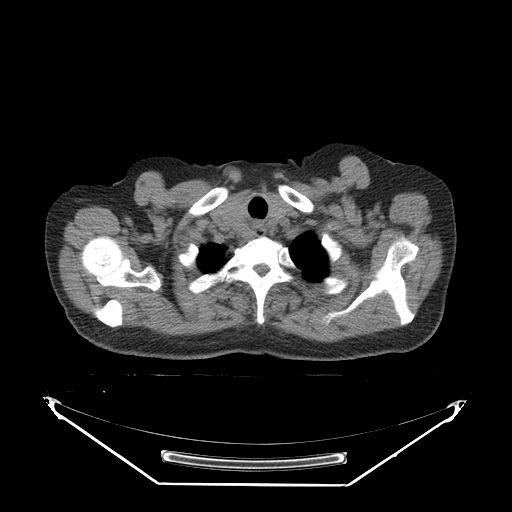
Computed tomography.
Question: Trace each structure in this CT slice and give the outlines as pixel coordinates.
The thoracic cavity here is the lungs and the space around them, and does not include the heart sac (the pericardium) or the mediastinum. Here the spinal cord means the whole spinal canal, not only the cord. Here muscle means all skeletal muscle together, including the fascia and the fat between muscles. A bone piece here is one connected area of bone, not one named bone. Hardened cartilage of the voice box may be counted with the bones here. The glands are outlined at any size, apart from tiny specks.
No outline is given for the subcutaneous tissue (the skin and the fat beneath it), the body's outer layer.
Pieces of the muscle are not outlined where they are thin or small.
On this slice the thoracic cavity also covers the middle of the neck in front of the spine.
Answer: {"muscle":[{"outer":[[350,154],[369,171],[360,197],[366,206],[380,211],[403,191],[426,196],[445,260],[415,317],[401,269],[419,247],[398,237],[367,287],[345,308],[326,313],[324,323],[385,292],[402,328],[330,343],[260,326],[166,336],[117,327],[123,307],[115,298],[90,309],[102,324],[74,306],[62,287],[62,224],[90,204],[140,222],[133,192],[144,171],[171,183],[215,180],[231,167],[257,178],[280,170],[290,178],[326,178]],"holes":[[[252,192],[277,200],[302,231],[318,239],[325,232],[341,245],[327,275],[345,279],[345,288],[327,294],[321,280],[294,270],[295,284],[269,288],[261,324],[246,282],[188,289],[203,272],[178,255],[189,243],[199,248],[212,241],[218,214]],[[98,235],[107,235],[114,238],[123,253],[128,258],[130,267],[133,270],[139,272],[149,264],[153,266],[158,273],[161,282],[160,287],[157,290],[152,290],[145,286],[104,286],[97,281],[96,278],[89,274],[83,267],[80,252],[84,245],[91,238]],[[218,186],[224,186],[227,188],[228,190],[228,195],[225,200],[224,200],[221,203],[220,203],[214,208],[200,215],[192,215],[188,212],[188,210],[190,208],[190,207],[197,200],[198,200],[202,196],[203,196],[211,189],[215,187],[217,187]],[[280,184],[285,184],[286,185],[288,185],[306,196],[312,202],[313,204],[313,209],[312,211],[311,212],[304,212],[303,211],[301,211],[297,208],[294,207],[292,205],[289,204],[286,201],[285,201],[281,197],[277,189],[278,185]]]}],"bones":[{"outer":[[260,235],[286,246],[291,259],[299,269],[292,272],[295,276],[295,284],[277,282],[269,288],[263,304],[264,321],[261,324],[256,322],[257,304],[254,291],[246,282],[219,281],[198,293],[188,289],[189,283],[197,277],[218,270],[233,254],[236,247]],"hole":[[258,264],[265,264],[268,267],[268,268],[269,269],[268,270],[268,271],[264,275],[263,275],[262,276],[261,276],[260,275],[259,275],[257,273],[257,272],[254,269],[254,266],[255,266],[256,265],[257,265]]},[[98,235],[107,235],[114,238],[123,253],[128,258],[130,267],[133,270],[139,272],[149,264],[153,266],[158,273],[161,282],[160,287],[157,290],[152,290],[145,286],[104,286],[97,281],[96,278],[89,274],[83,267],[80,252],[84,245],[91,238]],[[400,237],[406,238],[418,247],[415,258],[405,263],[400,269],[405,283],[406,301],[415,314],[411,322],[403,326],[400,325],[391,297],[382,291],[363,300],[346,314],[325,323],[326,314],[345,309],[368,287],[377,270],[383,265],[389,246]],[[218,186],[224,186],[227,188],[228,190],[228,195],[225,200],[224,200],[221,203],[220,203],[214,208],[200,215],[192,215],[188,212],[188,210],[190,208],[190,207],[197,200],[198,200],[202,196],[203,196],[211,189],[215,187],[217,187]],[[111,299],[115,299],[117,300],[121,304],[121,306],[122,307],[122,324],[120,326],[117,326],[116,327],[111,327],[110,326],[108,326],[106,325],[104,323],[100,321],[91,311],[91,309],[93,307],[101,307],[108,300],[110,300]],[[280,184],[285,184],[286,185],[288,185],[306,196],[312,202],[313,204],[313,209],[312,211],[311,212],[304,212],[303,211],[301,211],[297,208],[294,207],[292,205],[289,204],[286,201],[285,201],[281,197],[277,189],[278,185]],[[324,232],[327,233],[334,240],[336,240],[341,245],[342,247],[342,253],[341,255],[336,260],[335,260],[331,263],[329,262],[328,255],[326,251],[324,249],[324,248],[321,245],[321,242],[320,241],[320,239],[322,236],[322,234]],[[327,276],[332,276],[333,277],[337,277],[338,278],[342,278],[343,279],[345,279],[347,281],[347,285],[346,286],[346,287],[338,293],[335,293],[334,294],[327,294],[326,293],[325,293],[324,292],[324,286],[322,283],[322,280],[325,277],[326,277]],[[189,243],[193,243],[195,245],[196,245],[199,248],[199,252],[196,257],[196,265],[193,267],[189,267],[188,266],[185,266],[184,265],[183,265],[178,260],[178,255],[180,253],[183,253],[186,251],[186,250],[188,247],[188,245],[189,244]]],"thoracic_cavity":[[[252,192],[271,197],[272,224],[285,215],[285,207],[302,231],[311,230],[319,239],[328,259],[328,273],[320,281],[304,277],[289,248],[263,234],[236,246],[215,271],[203,273],[197,257],[200,247],[214,239],[218,214],[238,221],[242,198]]],"right_arm":[[[114,182],[123,228],[124,229],[124,233],[125,234],[121,272],[103,318],[84,338],[77,333],[65,316],[64,310],[58,301],[50,283],[45,256],[44,255],[45,218],[46,217],[46,213],[54,199],[61,192],[66,190],[72,185],[78,183],[110,185]]],"thyroid_glands":[[[241,199],[241,203],[242,204],[242,206],[240,210],[240,216],[239,217],[239,219],[236,221],[234,221],[231,219],[228,219],[226,218],[223,212],[226,206],[227,206],[228,204],[229,204],[234,200],[240,200]],[[272,199],[275,199],[276,200],[277,200],[283,206],[283,207],[285,209],[285,213],[284,214],[284,215],[278,221],[277,221],[275,223],[272,223],[272,220],[273,219],[273,217],[272,216],[272,204],[271,203],[271,202],[272,201]]],"torso":[[[330,142],[362,145],[392,161],[414,164],[419,205],[436,233],[456,251],[442,319],[425,343],[403,353],[318,361],[239,352],[162,359],[111,352],[85,339],[104,318],[122,272],[126,234],[115,182],[135,161],[167,155],[198,164],[286,158],[298,163]]],"left_arm":[[[415,164],[423,166],[437,174],[446,182],[451,191],[452,198],[453,199],[453,206],[454,207],[454,213],[455,214],[455,221],[456,222],[456,234],[457,235],[456,250],[448,245],[437,233],[430,223],[420,205],[420,203],[416,194],[416,188],[415,187]]],"spinal_cord":[[[258,264],[265,264],[268,267],[268,268],[269,269],[268,270],[268,271],[264,275],[263,275],[262,276],[261,276],[260,275],[259,275],[257,273],[257,272],[254,269],[254,266],[255,266],[256,265],[257,265]]]}